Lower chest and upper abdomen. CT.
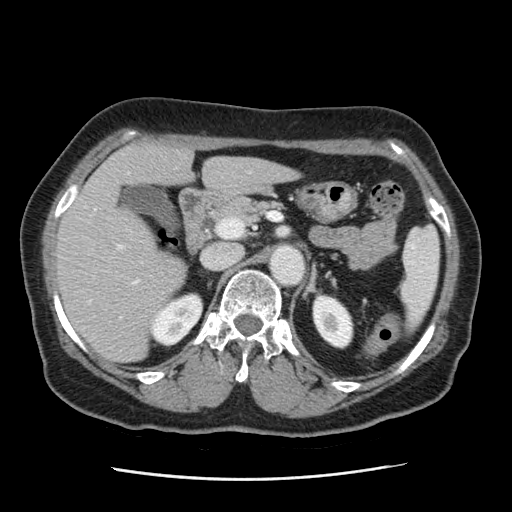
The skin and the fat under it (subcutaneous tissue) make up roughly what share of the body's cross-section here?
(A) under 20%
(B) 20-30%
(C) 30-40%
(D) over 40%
(B) 20-30%
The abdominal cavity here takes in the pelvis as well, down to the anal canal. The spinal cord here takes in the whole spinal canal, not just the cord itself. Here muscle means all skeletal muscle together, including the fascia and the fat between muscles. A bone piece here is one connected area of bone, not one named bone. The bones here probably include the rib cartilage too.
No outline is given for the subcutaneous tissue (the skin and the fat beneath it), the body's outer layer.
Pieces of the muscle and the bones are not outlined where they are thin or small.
The muscle is outlined by (124, 126) (136, 126) (147, 130) (154, 130) (158, 132) (179, 132) (192, 134) (206, 134) (216, 136) (254, 137) (261, 139) (287, 139) (288, 140) (289, 139) (325, 139) (326, 138) (364, 137) (371, 138) (374, 140) (381, 140) (386, 138) (398, 138) (407, 143) (427, 167) (429, 172) (433, 176) (445, 196) (454, 216) (454, 221) (459, 240) (459, 247) (460, 248) (459, 272) (457, 276) (455, 294) (451, 301) (451, 305) (446, 317) (449, 325) (449, 337) (443, 348) (434, 357) (428, 361) (424, 362) (400, 381) (385, 388) (376, 394) (359, 402) (356, 402) (348, 407) (341, 408) (323, 415) (307, 418) (288, 418) (283, 417) (276, 413) (268, 412) (262, 409) (256, 404) (248, 387) (241, 384) (236, 385) (227, 398) (219, 405) (212, 408) (207, 408) (202, 413) (196, 412) (183, 413) (169, 411) (144, 403) (123, 389) (93, 374) (76, 359) (69, 356) (60, 346) (55, 323) (49, 307) (46, 295) (47, 294) (43, 280) (43, 266) (41, 258) (41, 248) (42, 247) (41, 236) (45, 221) (47, 218) (47, 214) (52, 202) (60, 187) (62, 186) (74, 166) (89, 149) (101, 139) (112, 131); inner edges: (134, 138) (403, 165) (443, 207) (451, 232) (442, 232) (445, 269) (422, 352) (401, 373) (350, 392) (301, 351) (265, 359) (256, 341) (242, 382) (236, 340) (220, 352) (191, 344) (150, 369) (165, 372) (152, 383) (86, 353) (53, 303) (54, 213) (71, 184) (79, 188), then (388, 139) (390, 139) (392, 140) (393, 142) (394, 142) (398, 146) (402, 148) (405, 151) (405, 153) (407, 156) (407, 159) (405, 159) (403, 158) (400, 155) (398, 155) (392, 149) (392, 148) (390, 146) (388, 142), then (129, 129) (134, 129) (135, 130) (136, 130) (137, 131) (137, 133) (136, 134) (134, 134) (133, 135) (131, 135) (130, 134) (127, 134) (126, 133) (126, 132). The bones appear in 8 outlined pieces: piece 1: (246, 268) (264, 272) (280, 288) (281, 316) (288, 322) (300, 355) (283, 349) (265, 359) (261, 344) (255, 341) (247, 356) (247, 378) (238, 382) (235, 375) (243, 348) (236, 340) (228, 341) (220, 352) (211, 348) (206, 340) (192, 344) (207, 315) (218, 308) (228, 280); inner edge: (241, 314) (251, 314) (252, 315) (254, 315) (258, 317) (261, 320) (262, 322) (262, 326) (261, 328) (258, 331) (252, 334) (250, 334) (249, 335) (245, 335) (243, 334) (236, 327) (234, 323) (234, 319) (237, 316); piece 2: (431, 322) (434, 322) (435, 324) (435, 328) (430, 340) (428, 342) (422, 352) (405, 370) (404, 370) (399, 374) (397, 374) (396, 375) (392, 375) (392, 373) (399, 366) (402, 365) (409, 359) (410, 357) (410, 351) (420, 339) (420, 338) (428, 327) (429, 324); piece 3: (56, 290) (59, 296) (59, 299) (61, 302) (61, 305) (63, 308) (65, 315) (67, 317) (67, 319) (69, 321) (71, 326) (77, 335) (81, 339) (87, 348) (89, 353) (86, 353) (67, 334) (63, 328) (58, 318) (53, 303) (53, 293) (54, 291); piece 4: (424, 192) (427, 195) (430, 195) (433, 197) (443, 207) (446, 213) (447, 219) (450, 227) (450, 231) (451, 232) (451, 236) (450, 237) (447, 237) (446, 236) (445, 233) (440, 227) (436, 220) (434, 219) (431, 215) (429, 211) (429, 208) (424, 199) (424, 196) (423, 195); piece 5: (74, 183) (78, 185) (78, 189) (77, 190) (77, 193) (75, 197) (71, 203) (69, 204) (67, 208) (61, 214) (61, 215) (59, 217) (55, 218) (54, 217) (54, 213) (55, 212) (56, 206) (59, 200) (61, 198) (62, 195) (66, 189) (71, 184) (73, 184); piece 6: (140, 371) (163, 371) (164, 372) (165, 372) (165, 375) (162, 378) (161, 378) (160, 379) (159, 379) (158, 380) (157, 380) (156, 381) (155, 381) (152, 383) (144, 383) (143, 382) (140, 381) (138, 379) (137, 379) (132, 375) (134, 373) (135, 373) (136, 372) (139, 372); piece 7: (338, 380) (342, 380) (343, 381) (358, 381) (359, 382) (361, 382) (362, 384) (360, 387) (359, 387) (357, 389) (353, 391) (351, 391) (350, 392) (345, 392) (344, 391) (341, 391) (340, 390) (338, 390) (336, 389) (330, 384) (330, 383) (332, 381) (337, 381); piece 8: (388, 139) (390, 139) (392, 140) (393, 142) (394, 142) (398, 146) (402, 148) (405, 151) (405, 153) (407, 156) (407, 159) (405, 159) (403, 158) (400, 155) (398, 155) (392, 149) (392, 148) (390, 146) (388, 142). The abdominal cavity is outlined by (134, 138) (198, 151) (269, 145) (376, 155) (403, 165) (441, 229) (445, 249) (435, 310) (408, 359) (359, 381) (308, 361) (289, 325) (291, 301) (306, 271) (303, 253) (291, 245) (236, 271) (192, 343) (169, 364) (128, 370) (92, 351) (56, 287) (56, 230) (92, 170). The torso is outlined by (139, 96) (268, 109) (379, 105) (417, 121) (432, 138) (469, 205) (481, 239) (481, 275) (471, 339) (449, 392) (421, 410) (362, 430) (305, 438) (129, 429) (84, 414) (60, 399) (45, 381) (33, 333) (19, 253) (22, 214) (37, 183) (77, 131) (103, 108). The mediastinum is outlined by (282, 246) (291, 246) (299, 250) (302, 253) (305, 260) (305, 271) (304, 272) (304, 275) (290, 301) (289, 319) (288, 321) (285, 317) (282, 316) (283, 297) (282, 296) (281, 288) (278, 284) (264, 271) (257, 268) (247, 267) (257, 263) (263, 262) (270, 254) (276, 249). The spinal cord is outlined by (241, 314) (251, 314) (252, 315) (254, 315) (258, 317) (261, 320) (262, 322) (262, 326) (261, 328) (258, 331) (252, 334) (250, 334) (249, 335) (245, 335) (243, 334) (236, 327) (234, 323) (234, 319) (237, 316).